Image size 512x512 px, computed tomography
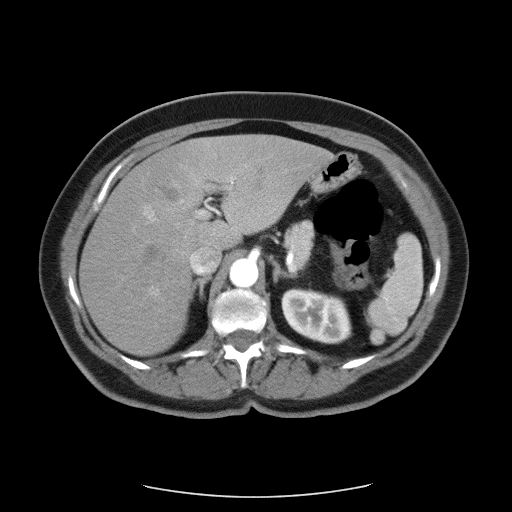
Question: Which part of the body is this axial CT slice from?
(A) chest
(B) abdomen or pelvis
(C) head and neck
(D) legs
Answer: (B) abdomen or pelvis
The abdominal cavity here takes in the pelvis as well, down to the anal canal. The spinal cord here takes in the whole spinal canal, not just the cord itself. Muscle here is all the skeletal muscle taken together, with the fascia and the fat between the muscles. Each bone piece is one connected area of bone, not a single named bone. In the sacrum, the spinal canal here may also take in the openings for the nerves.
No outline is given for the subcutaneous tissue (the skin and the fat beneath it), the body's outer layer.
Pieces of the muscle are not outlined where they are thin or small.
The abdominal cavity is outlined by 245,121 327,138 373,155 389,171 419,220 433,262 420,308 389,345 344,360 301,347 277,330 263,297 241,288 215,297 203,335 182,351 142,361 96,333 77,291 76,264 86,228 110,188 137,161 172,142. The bones appear in 9 outlined pieces: piece 1: 228,289 250,290 267,304 266,322 259,337 270,347 274,358 268,358 264,352 250,359 246,369 245,388 240,386 241,373 235,360 225,359 221,355 214,364 215,355 221,349 224,339 211,323 212,304 220,293 with a hole at 238,329 244,329 245,330 250,330 251,331 253,331 257,336 257,340 256,340 254,342 250,344 248,346 248,347 245,350 243,351 240,351 238,350 231,344 229,343 227,343 226,342 226,337 227,335; piece 2: 131,154 133,154 133,156 125,164 125,165 119,170 119,171 111,180 109,185 109,188 107,191 107,193 103,201 101,203 99,207 99,209 95,212 92,208 92,204 93,203 93,201 97,196 107,176 117,164; piece 3: 437,256 439,256 440,257 440,263 441,264 441,266 440,267 440,273 439,274 439,279 438,280 438,282 437,283 437,285 433,295 431,297 429,297 429,295 428,294 428,286 432,278 432,276 434,273 434,259; piece 4: 374,353 375,353 375,356 373,358 370,359 365,363 357,367 349,368 348,369 342,369 340,368 340,367 344,363 351,359 353,359 357,357 360,357 361,356 365,356 369,354 373,354; piece 5: 276,343 283,343 284,344 287,344 291,346 296,346 297,347 300,347 301,348 303,348 305,349 307,351 307,353 305,354 295,354 291,352 281,352 280,351 278,351 274,348 274,345; piece 6: 69,274 70,274 72,276 74,280 74,284 76,288 76,291 78,294 78,296 81,302 81,305 82,307 79,307 77,306 77,305 74,302 73,299 70,295 70,293 69,292 69,288 68,287 68,275; piece 7: 119,353 121,354 123,354 125,356 127,356 130,358 132,358 136,360 139,360 145,363 150,367 150,369 139,369 138,368 136,368 132,366 130,364 129,364 127,362 123,360 119,356; piece 8: 198,349 208,349 209,350 209,351 205,355 202,355 201,356 191,356 190,357 186,357 185,358 181,358 180,357 180,356 179,355 180,354 180,353 181,352 183,352 184,351 187,351 188,350 197,350; piece 9: 392,169 395,169 396,170 397,170 401,174 402,177 405,180 405,181 406,182 406,183 408,186 408,190 407,191 406,191 402,187 402,186 401,185 400,182 396,178 395,175 392,172. The muscle is outlined by 241,117 269,117 270,118 283,119 284,120 295,120 296,121 313,122 319,124 335,126 363,133 379,140 401,157 427,183 433,196 437,202 443,219 447,225 450,255 449,256 448,274 447,275 446,285 443,296 435,309 434,316 428,326 425,329 423,337 420,342 410,353 403,358 365,374 343,390 328,396 316,398 315,399 306,399 305,400 272,399 260,396 256,394 252,390 242,389 239,391 235,391 234,394 223,399 219,399 218,400 207,400 206,399 204,400 190,400 189,399 177,399 153,393 141,388 122,371 106,361 99,358 87,348 79,337 75,329 71,312 65,299 65,289 61,277 60,264 59,263 60,262 60,256 59,255 61,250 61,245 60,244 61,243 61,239 72,216 72,214 78,204 79,200 94,175 104,165 120,154 125,149 143,137 152,133 168,128 175,127 179,125 201,121 202,120 214,119 215,118 240,118; inner edges: 245,121 286,124 379,159 418,218 432,261 440,257 433,295 426,293 411,323 397,339 357,367 342,369 348,359 336,360 308,348 305,354 278,351 274,348 276,343 300,346 277,330 268,313 259,337 270,347 274,358 268,358 264,352 251,358 246,369 247,386 242,388 235,360 221,355 214,364 224,339 214,329 210,313 203,335 184,350 208,349 205,355 181,358 177,351 147,359 143,362 150,369 139,369 123,360 120,352 96,333 84,308 77,306 70,295 68,275 76,284 79,247 96,213 93,201 117,164 133,156 111,180 110,188 137,161 172,142, then 392,169 395,169 396,170 397,170 401,174 402,177 405,180 405,181 406,182 406,183 408,186 408,190 407,191 406,191 402,187 402,186 401,185 400,182 396,178 395,175 392,172. The torso is outlined by 232,90 305,92 379,114 419,145 458,208 470,263 457,324 442,351 413,383 369,407 307,418 276,417 252,408 244,415 191,419 129,406 103,395 82,375 46,310 37,269 41,234 55,199 90,148 148,108. The spinal cord is outlined by 238,329 244,329 245,330 250,330 251,331 253,331 257,336 257,340 256,340 254,342 250,344 248,346 248,347 245,350 243,351 240,351 238,350 231,344 229,343 227,343 226,342 226,337 227,335.